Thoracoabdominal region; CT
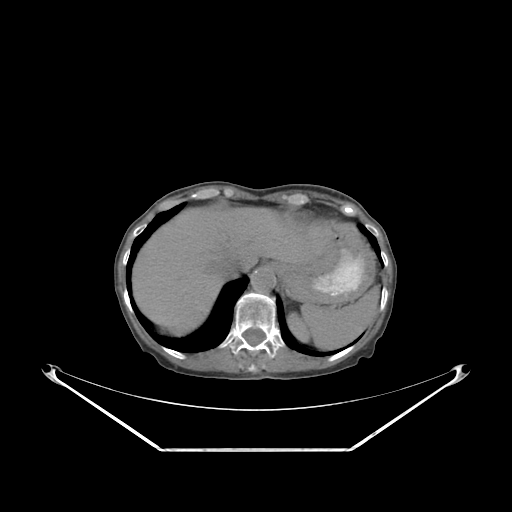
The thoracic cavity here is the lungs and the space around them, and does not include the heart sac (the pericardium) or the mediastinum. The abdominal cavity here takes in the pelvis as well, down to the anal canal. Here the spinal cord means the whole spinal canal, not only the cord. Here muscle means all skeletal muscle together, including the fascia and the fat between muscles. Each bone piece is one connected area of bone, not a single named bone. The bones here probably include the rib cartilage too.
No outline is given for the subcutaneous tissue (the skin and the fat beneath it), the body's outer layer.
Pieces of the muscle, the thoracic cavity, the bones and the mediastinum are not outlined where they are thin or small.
The torso is outlined by 210 180; 251 187; 288 183; 328 186; 355 198; 383 226; 397 262; 397 285; 391 316; 371 357; 362 358; 356 365; 335 374; 315 378; 230 381; 176 374; 141 350; 124 320; 114 292; 113 261; 118 245; 129 224; 156 199; 174 189. The thoracic cavity appears in 3 outlined pieces: piece 1: 182 202; 185 205; 160 223; 137 250; 130 285; 139 313; 153 329; 162 336; 183 338; 206 322; 227 283; 248 279; 234 304; 232 323; 225 337; 215 347; 196 352; 182 352; 156 341; 138 320; 126 285; 126 265; 134 239; 156 214; piece 2: 277 297; 279 298; 282 305; 285 325; 289 333; 296 342; 303 346; 305 346; 307 348; 320 352; 333 351; 342 347; 347 346; 330 355; 325 355; 324 356; 310 355; 302 353; 289 347; 282 337; 277 319; 277 305; 276 304; 276 298; piece 3: 362 224; 364 225; 364 226; 376 238; 377 240; 377 243; 380 248; 380 258; 381 259; 382 264; 369 238; 366 235; 366 234; 364 233; 360 229; 359 227; 359 225; 361 225. The bones appear in 11 outlined pieces: piece 1: 245 292; 257 292; 275 298; 276 319; 281 337; 286 344; 286 346; 278 348; 275 355; 272 358; 263 349; 253 353; 245 348; 242 348; 236 354; 234 354; 228 346; 225 346; 221 348; 217 347; 228 334; 233 323; 235 304; 240 296 with a hole at 251 328; 253 329; 260 329; 264 333; 265 335; 265 337; 264 339; 263 339; 259 343; 255 345; 252 345; 250 344; 244 338; 243 336; 243 333; 246 330; 248 329; 250 329; piece 2: 210 188; 215 188; 220 191; 220 194; 219 194; 217 196; 215 196; 214 197; 210 197; 209 198; 206 198; 205 199; 190 199; 189 198; 189 196; 192 193; 194 192; 196 192; 197 191; 199 191; 203 189; 209 189; piece 3: 296 193; 301 193; 302 194; 305 194; 308 197; 308 198; 309 199; 309 201; 306 204; 304 204; 303 205; 294 205; 293 204; 290 204; 289 203; 288 203; 287 202; 287 201; 282 197; 282 196; 283 195; 290 195; 291 194; 295 194; piece 4: 180 199; 184 199; 184 201; 182 201; 180 203; 179 203; 178 204; 177 204; 176 205; 175 205; 174 206; 173 206; 168 209; 166 209; 165 210; 159 210; 159 205; 160 204; 160 203; 161 203; 163 201; 165 201; 166 200; 179 200; piece 5: 352 344; 354 344; 354 346; 353 347; 353 348; 347 353; 344 354; 342 356; 341 356; 332 361; 328 361; 327 360; 327 359; 329 356; 330 356; 331 355; 332 355; 333 354; 334 354; 335 353; 344 349; 346 347; 347 347; piece 6: 346 204; 347 204; 348 205; 350 205; 356 209; 357 212; 356 213; 355 216; 349 216; 348 215; 346 215; 345 214; 344 214; 341 211; 340 211; 340 208; 341 207; 341 206; 342 206; 343 205; 345 205; piece 7: 383 286; 385 286; 387 289; 387 292; 388 293; 388 297; 387 298; 387 301; 386 302; 386 303; 384 306; 384 308; 382 310; 380 310; 379 309; 379 308; 380 307; 380 300; 381 299; 381 291; 382 290; 382 287; piece 8: 161 346; 164 346; 165 347; 167 347; 170 349; 172 349; 173 350; 175 350; 176 351; 181 352; 182 353; 183 353; 185 355; 185 358; 184 359; 180 359; 179 358; 177 358; 176 357; 169 354; 167 352; 166 352; 162 348; 162 347; piece 9: 125 286; 126 286; 126 288; 128 292; 128 295; 129 296; 129 300; 130 301; 130 304; 132 307; 132 309; 134 312; 134 314; 131 313; 129 311; 128 308; 126 306; 124 302; 124 299; 123 298; 123 291; 124 290; 124 288; piece 10: 144 223; 147 223; 147 225; 144 228; 144 229; 138 235; 137 235; 134 238; 133 237; 133 236; 132 235; 132 232; 133 231; 133 230; 134 229; 134 228; 135 227; 136 227; 137 226; 138 226; 139 225; 141 225; 142 224; 143 224; piece 11: 367 223; 368 223; 369 224; 371 224; 372 225; 373 225; 378 230; 378 232; 379 233; 379 235; 377 237; 376 237; 365 226; 365 224; 366 224. The abdominal cavity is outlined by 215 197; 309 207; 358 224; 383 266; 379 307; 367 329; 333 350; 320 351; 299 343; 286 325; 274 268; 259 264; 247 277; 222 287; 209 316; 195 331; 183 337; 158 333; 140 313; 132 295; 131 272; 138 250; 160 224; 182 208. The spinal cord is outlined by 251 328; 253 329; 260 329; 264 333; 265 335; 265 337; 264 339; 263 339; 259 343; 255 345; 252 345; 250 344; 244 338; 243 336; 243 333; 246 330; 248 329; 250 329. The mediastinum appears in 2 outlined pieces: piece 1: 259 265; 269 266; 273 268; 276 274; 276 278; 277 279; 277 296; 276 297; 274 296; 271 296; 268 294; 266 294; 262 292; 258 292; 257 291; 245 291; 244 292; 249 282; 249 279; 248 278; 248 275; 249 273; 253 268; piece 2: 310 204; 319 204; 320 205; 333 208; 336 210; 338 210; 346 216; 357 218; 362 223; 359 224; 355 222; 349 221; 346 219; 341 219; 338 217; 332 216; 324 211; 320 211; 309 206; 308 207; 307 206; 304 206; 304 205; 309 205. The muscle appears in 3 outlined pieces: piece 1: 212 185; 231 186; 255 195; 294 189; 328 194; 354 204; 378 227; 392 262; 391 292; 380 327; 362 348; 344 360; 321 369; 257 372; 257 367; 254 363; 251 363; 247 368; 249 372; 229 373; 184 368; 171 362; 145 343; 133 326; 124 303; 128 311; 135 315; 144 330; 161 345; 161 348; 180 360; 186 358; 184 353; 202 352; 216 347; 219 349; 228 347; 234 355; 242 349; 253 354; 263 350; 272 359; 278 349; 287 346; 310 356; 328 356; 326 360; 332 362; 354 348; 355 343; 376 317; 378 310; 382 311; 388 301; 389 293; 387 287; 383 285; 383 274; 384 267; 388 266; 389 260; 378 243; 379 230; 373 224; 368 222; 364 224; 356 217; 358 211; 352 205; 343 204; 339 210; 319 203; 307 204; 310 199; 305 193; 301 192; 283 194; 281 197; 287 203; 265 199; 233 198; 231 197; 234 191; 230 187; 222 191; 225 197; 219 197; 221 191; 215 187; 210 187; 192 192; 188 196; 189 200; 184 198; 166 199; 198 187; piece 2: 132 230; 131 232; 131 235; 133 238; 132 243; 130 247; 127 248; 124 252; 122 256; 122 261; 121 262; 122 265; 125 267; 125 285; 122 291; 123 302; 122 297; 118 288; 117 266; 118 265; 118 261; 120 254; 123 249; 127 237; piece 3: 159 203; 159 204; 158 205; 158 210; 159 211; 160 211; 159 211; 157 213; 156 213; 155 214; 155 215; 148 222; 144 222; 143 223; 142 223; 141 224; 139 224; 138 225; 137 225; 136 226; 135 226; 156 205; 157 205.